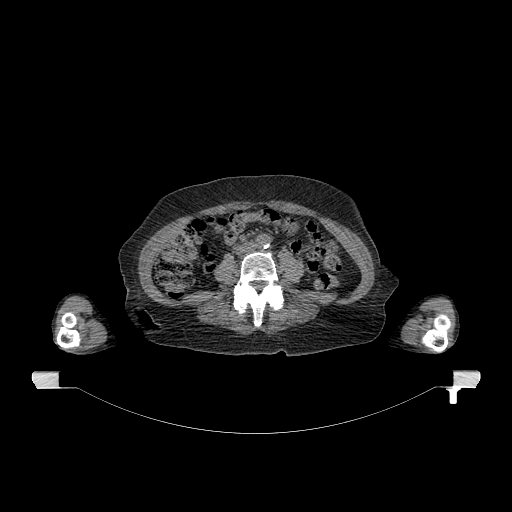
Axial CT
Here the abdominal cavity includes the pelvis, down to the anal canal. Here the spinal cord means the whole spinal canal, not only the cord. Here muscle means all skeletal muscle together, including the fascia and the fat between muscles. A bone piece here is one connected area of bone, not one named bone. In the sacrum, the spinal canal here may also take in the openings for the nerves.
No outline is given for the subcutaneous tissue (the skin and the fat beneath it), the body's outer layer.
{"muscle":[{"outer":[[244,200],[283,200],[296,203],[315,210],[321,215],[337,221],[357,234],[370,252],[374,264],[374,283],[368,293],[362,298],[349,304],[330,305],[321,316],[321,319],[317,319],[299,328],[278,331],[273,334],[267,334],[260,330],[256,330],[247,335],[216,332],[206,324],[199,322],[193,315],[183,309],[169,307],[153,301],[143,291],[139,282],[137,269],[139,253],[146,241],[157,230],[179,217],[219,204]],"hole":[[258,205],[317,219],[359,270],[351,291],[339,296],[298,287],[304,264],[286,250],[275,263],[283,306],[274,310],[267,304],[259,327],[249,305],[242,314],[233,307],[240,265],[230,253],[213,270],[214,289],[173,299],[157,287],[156,256],[190,220]]},[[71,296],[80,296],[90,303],[93,317],[104,326],[107,333],[107,339],[103,343],[88,349],[73,349],[80,346],[82,338],[80,332],[76,328],[78,318],[70,310],[65,311],[61,315],[59,320],[60,326],[55,337],[55,321],[58,311],[65,300]],[[436,297],[447,299],[451,303],[454,311],[455,327],[451,343],[448,346],[448,330],[452,323],[450,318],[442,312],[433,318],[432,326],[426,329],[420,337],[420,342],[431,350],[405,343],[401,339],[401,331],[405,323],[420,312],[419,307],[422,303]]],"abdominal_cavity":[[[258,205],[317,219],[359,270],[359,281],[351,291],[339,296],[298,287],[304,264],[286,250],[278,252],[276,262],[270,251],[250,251],[239,264],[226,253],[213,270],[217,287],[199,289],[180,299],[169,297],[157,287],[152,277],[156,256],[190,220]]],"torso":[[[262,174],[292,174],[324,181],[343,190],[355,201],[381,261],[399,279],[385,304],[385,324],[380,334],[367,343],[296,356],[287,356],[282,351],[243,355],[208,353],[145,339],[124,307],[126,289],[117,258],[121,245],[162,196],[184,186],[221,177]]],"spinal_cord":[[[252,281],[265,281],[266,282],[266,284],[262,288],[262,289],[260,291],[258,291],[257,290],[256,290],[255,289],[255,288],[253,286],[252,286],[250,284],[250,283]]],"bones":[{"outer":[[254,251],[272,254],[276,264],[277,282],[282,287],[284,297],[283,306],[278,310],[274,310],[268,304],[265,306],[262,323],[259,327],[256,327],[253,323],[253,312],[249,305],[245,312],[239,314],[232,304],[232,288],[240,275],[241,260],[245,254]],"hole":[[252,281],[265,281],[266,282],[266,284],[262,288],[262,289],[260,291],[258,291],[257,290],[256,290],[255,289],[255,288],[253,286],[252,286],[250,284],[250,283]]},[[440,313],[445,314],[449,318],[451,324],[449,328],[447,330],[447,347],[443,351],[441,352],[435,352],[433,351],[429,347],[427,347],[425,346],[421,342],[421,337],[422,335],[426,331],[426,330],[431,328],[433,326],[433,320],[434,318],[438,314]],[[68,311],[72,312],[77,318],[77,322],[75,325],[75,328],[77,329],[79,332],[81,340],[80,341],[79,346],[77,347],[62,348],[56,343],[56,335],[59,330],[59,328],[61,326],[61,321],[60,320],[61,319],[61,317],[65,312],[67,312]]],"left_arm":[[[433,293],[444,293],[447,294],[454,301],[454,303],[459,313],[459,319],[460,320],[459,335],[455,343],[449,349],[435,354],[416,353],[415,352],[407,351],[403,349],[389,346],[388,340],[390,336],[396,327],[404,318],[408,311],[420,299],[426,295]]],"right_arm":[[[71,292],[82,292],[85,293],[91,298],[98,310],[107,319],[109,325],[114,333],[116,343],[113,347],[92,354],[77,355],[60,350],[57,347],[56,344],[53,342],[50,325],[51,324],[51,319],[56,304],[62,297],[66,294]]]}